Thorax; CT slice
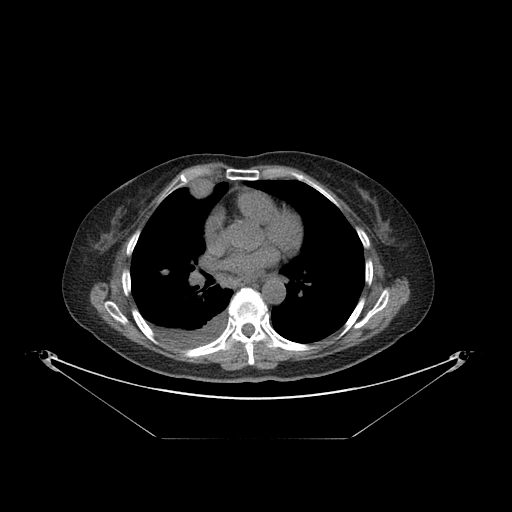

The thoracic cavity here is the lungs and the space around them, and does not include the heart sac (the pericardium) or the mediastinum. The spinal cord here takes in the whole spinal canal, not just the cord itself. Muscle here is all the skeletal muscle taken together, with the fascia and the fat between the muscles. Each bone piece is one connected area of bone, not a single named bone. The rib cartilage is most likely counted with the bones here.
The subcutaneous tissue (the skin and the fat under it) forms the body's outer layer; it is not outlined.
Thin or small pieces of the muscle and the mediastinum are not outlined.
The mediastinum appears in 2 outlined pieces: piece 1: 205,251 206,255 214,267 220,273 229,276 259,276 268,275 279,271 286,278 285,298 281,303 273,306 270,311 260,292 250,286 243,286 233,294 233,291 230,288 222,287 212,275 203,270 199,266 199,258; piece 2: 222,179 224,179 225,180 231,180 232,181 236,181 237,180 241,180 242,181 245,181 245,184 246,185 237,185 236,186 235,186 234,187 233,187 232,188 230,188 229,189 228,189 228,184 225,181 224,181. The pericardium is outlined by 237,186 246,186 250,188 254,188 272,196 278,197 292,206 301,217 303,224 303,238 300,251 297,255 283,265 278,271 259,275 229,275 220,272 212,263 206,253 206,242 204,237 205,221 211,210 227,191. The torso is outlined by 273,150 306,151 347,163 383,185 407,209 427,246 435,280 431,306 413,330 379,353 320,377 214,383 170,377 140,367 103,344 71,317 62,297 62,273 81,220 100,199 132,177 180,155 214,152 248,156. The thoracic cavity appears in 2 outlined pieces: piece 1: 206,179 221,179 227,184 227,190 204,221 205,250 199,256 197,264 222,288 230,289 232,295 226,307 227,319 222,332 205,344 183,348 167,343 155,335 139,311 131,293 131,260 143,228 161,202 175,190; piece 2: 276,179 295,179 323,195 341,211 363,248 364,284 354,308 341,327 310,343 290,340 278,333 271,324 272,308 281,304 287,295 287,278 280,270 300,253 304,238 302,217 292,205 278,196 246,184 246,181. The muscle appears in 2 outlined pieces: piece 1: 267,164 299,169 326,186 343,200 376,238 378,243 376,251 384,269 390,274 407,278 410,295 387,327 356,345 322,357 297,361 285,360 273,368 258,369 252,366 255,363 255,343 262,341 270,349 281,348 295,352 312,350 316,346 311,343 329,336 340,328 335,337 337,340 351,328 362,327 372,316 387,305 390,295 388,289 384,288 372,307 358,320 366,301 366,298 361,295 364,285 369,287 374,275 372,259 370,257 365,259 364,255 364,249 370,248 370,239 367,233 359,225 353,227 342,212 340,204 309,177 283,167 251,168 256,165; piece 2: 217,161 229,166 223,170 224,178 206,178 192,181 199,177 210,176 214,170 205,166 191,168 186,172 181,172 163,191 155,203 155,209 142,229 136,228 127,241 125,254 131,257 130,267 125,267 122,270 120,279 124,295 128,297 131,294 136,305 136,307 133,306 130,309 132,318 137,327 151,342 158,346 160,342 155,337 157,336 167,344 182,348 180,352 187,358 226,351 235,342 239,342 243,344 246,351 248,366 235,370 226,370 219,364 212,362 179,361 150,350 128,339 107,324 99,316 89,299 92,286 109,277 121,235 144,207 183,169 with a hole at 107,300 109,300 110,301 112,301 113,302 114,302 116,304 116,305 118,307 119,310 126,317 126,318 128,321 126,324 123,324 121,322 116,320 107,311 107,310 105,308 105,307 104,306 104,302. The bones appear in 10 outlined pieces: piece 1: 243,287 259,292 270,312 270,324 278,334 290,341 315,347 298,351 270,348 260,340 254,343 252,365 248,364 247,351 239,341 235,341 226,350 195,357 183,355 182,349 205,345 223,332 227,325 230,299; inner edge: 247,323 249,323 250,324 251,324 254,327 254,330 253,331 253,332 249,336 247,336 246,335 245,335 242,332 242,327 243,326 243,325 244,325 245,324 246,324; piece 2: 230,167 238,169 248,169 250,168 258,170 263,170 267,168 283,168 295,171 306,176 324,189 339,204 341,208 340,209 328,198 310,185 295,178 276,178 275,179 256,179 255,180 227,179 224,176 224,170; piece 3: 384,289 387,289 389,293 386,305 382,309 372,315 362,326 358,328 351,327 342,336 337,339 336,338 337,335 340,332 343,325 355,308 360,297 363,296 365,298 365,301 357,319 358,321 364,317 373,307; piece 4: 202,167 212,169 213,170 212,174 210,175 199,176 195,179 190,181 187,185 182,186 175,189 167,195 160,202 160,203 156,206 156,203 158,199 164,191 181,173 186,173 191,169 201,168; piece 5: 133,307 137,308 138,311 140,313 142,317 145,320 147,324 153,331 154,337 159,342 159,344 158,345 157,344 155,344 152,341 151,341 138,327 137,324 135,322 133,318 133,316 131,312 131,309; piece 6: 107,300 109,300 110,301 112,301 113,302 114,302 116,304 116,305 118,307 119,310 126,317 126,318 128,321 126,324 123,324 121,322 116,320 107,311 107,310 105,308 105,307 104,306 104,302; piece 7: 125,268 128,268 129,269 129,272 130,273 130,285 131,286 131,292 129,294 129,295 128,296 126,296 124,293 124,291 123,290 123,286 122,285 122,280 121,279 121,277 122,276 122,272 123,271 123,270; piece 8: 138,228 139,228 141,230 140,232 140,234 134,246 134,248 131,254 131,256 128,256 126,254 126,249 127,248 127,244 128,243 128,241 131,235 135,231 135,230; piece 9: 367,258 370,258 371,259 371,261 372,262 372,266 373,267 373,275 372,276 372,280 371,281 371,284 369,286 368,285 367,285 365,283 365,260; piece 10: 355,226 359,226 360,227 361,227 366,233 366,234 369,239 369,248 368,248 367,249 366,248 364,248 363,247 363,245 361,242 361,240 360,239 360,238 359,237 357,232 355,230 355,229 354,228 355,227. The spinal cord is outlined by 247,323 249,323 250,324 251,324 254,327 254,330 253,331 253,332 249,336 247,336 246,335 245,335 242,332 242,327 243,326 243,325 244,325 245,324 246,324.